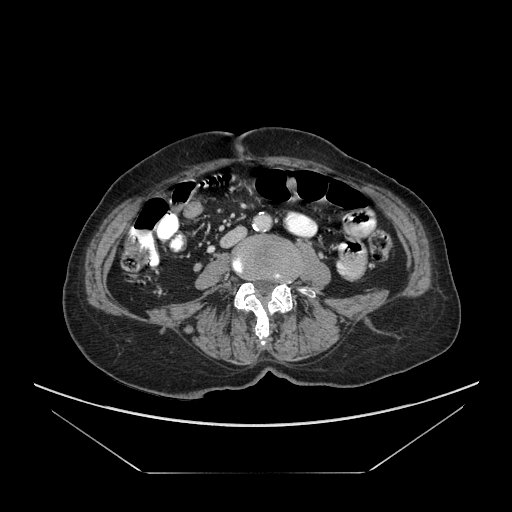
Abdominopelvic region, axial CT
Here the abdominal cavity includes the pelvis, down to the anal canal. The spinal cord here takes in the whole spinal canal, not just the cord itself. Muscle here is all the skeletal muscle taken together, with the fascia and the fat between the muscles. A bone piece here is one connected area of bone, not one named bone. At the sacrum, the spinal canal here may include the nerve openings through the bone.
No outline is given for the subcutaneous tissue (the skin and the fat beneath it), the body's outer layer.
The torso is outlined by [[262,126],[318,135],[395,178],[427,204],[443,233],[461,302],[455,341],[426,363],[357,388],[297,385],[268,371],[243,389],[214,390],[199,399],[184,400],[116,381],[82,354],[63,315],[66,268],[87,218],[123,172],[166,144],[198,132],[240,134]]. The muscle is outlined by [[255,156],[288,156],[312,160],[378,185],[394,193],[418,214],[428,235],[431,258],[431,281],[425,292],[414,298],[406,297],[395,299],[378,309],[368,313],[358,321],[333,346],[321,354],[298,361],[285,361],[277,359],[263,352],[254,363],[242,366],[225,362],[206,355],[178,332],[169,328],[111,315],[95,308],[88,302],[84,291],[84,264],[86,251],[101,222],[114,208],[133,195],[166,179],[185,168],[221,158]] with holes at [[243,160],[333,174],[368,195],[406,255],[401,292],[326,295],[330,268],[300,240],[294,244],[301,263],[290,284],[293,306],[269,317],[264,345],[254,313],[233,304],[240,279],[226,253],[195,278],[199,298],[142,315],[120,303],[108,274],[144,201]] and at [[300,286],[306,286],[307,287],[309,287],[310,288],[311,288],[316,293],[316,294],[315,295],[315,296],[313,298],[310,298],[309,297],[308,297],[307,296],[306,296],[305,295],[304,295],[303,294],[302,294],[301,293],[300,293],[297,290],[297,288]]. The abdominal cavity is outlined by [[243,160],[333,174],[368,195],[406,255],[401,292],[376,288],[326,295],[322,290],[332,273],[312,245],[269,234],[246,237],[232,256],[223,253],[207,263],[193,282],[202,292],[199,298],[142,315],[120,303],[109,290],[108,274],[144,201],[184,179]]. The bones appear in 2 outlined pieces: piece 1: [[269,235],[291,241],[299,253],[301,263],[297,277],[290,284],[293,306],[289,311],[283,313],[276,311],[269,317],[270,332],[265,344],[262,345],[255,333],[254,313],[250,310],[238,309],[233,304],[240,279],[232,269],[231,260],[236,247],[246,238]], around a hole outlined by [[260,279],[271,279],[272,280],[274,280],[277,283],[277,284],[272,289],[272,290],[269,293],[269,294],[267,294],[266,295],[263,295],[260,293],[258,293],[258,291],[255,288],[255,287],[254,286],[254,285],[252,282],[252,281],[253,280],[259,280]]; piece 2: [[300,286],[306,286],[307,287],[309,287],[310,288],[311,288],[316,293],[316,294],[315,295],[315,296],[313,298],[310,298],[309,297],[308,297],[307,296],[306,296],[305,295],[304,295],[303,294],[302,294],[301,293],[300,293],[297,290],[297,288]]. The spinal cord is outlined by [[260,279],[271,279],[272,280],[274,280],[277,283],[277,284],[272,289],[272,290],[269,293],[269,294],[267,294],[266,295],[263,295],[260,293],[258,293],[258,291],[255,288],[255,287],[254,286],[254,285],[252,282],[252,281],[253,280],[259,280]].